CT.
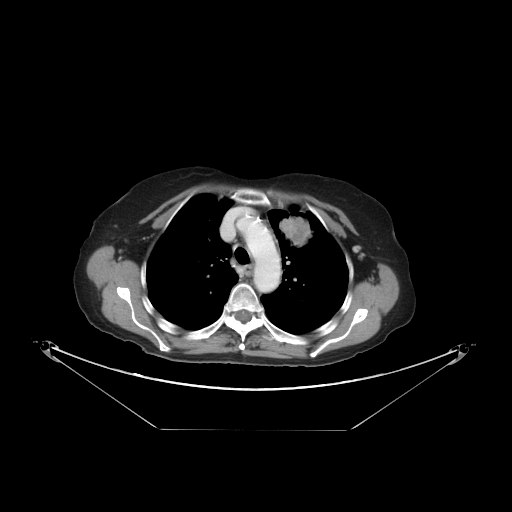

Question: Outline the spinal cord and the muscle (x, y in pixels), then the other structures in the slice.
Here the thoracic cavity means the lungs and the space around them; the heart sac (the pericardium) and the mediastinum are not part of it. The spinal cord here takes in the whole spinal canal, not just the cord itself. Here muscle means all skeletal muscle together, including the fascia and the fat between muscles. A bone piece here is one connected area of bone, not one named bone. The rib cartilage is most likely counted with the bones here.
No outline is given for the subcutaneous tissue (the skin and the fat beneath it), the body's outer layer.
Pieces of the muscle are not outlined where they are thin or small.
Answer: spinal cord: 240,310 246,310 247,311 248,311 250,313 250,318 249,319 249,320 248,320 245,322 242,322 236,318 236,317 235,316 235,313 236,312 237,312
muscle 1: 206,182 249,186 239,187 220,198 209,192 195,194 193,190 177,204 165,221 147,261 144,260 140,266 140,283 147,289 141,301 150,315 155,310 161,315 155,319 160,329 175,335 181,327 188,330 183,338 192,341 206,339 224,325 239,335 237,346 243,351 246,336 264,327 268,333 262,336 267,340 307,345 309,340 303,334 313,331 318,337 327,335 338,325 338,319 333,316 336,312 344,314 350,307 353,296 347,289 354,274 356,282 364,280 380,262 395,272 399,295 383,318 379,330 365,341 319,354 328,345 343,340 356,324 366,318 368,309 358,307 346,330 310,351 308,355 311,358 251,356 239,351 169,353 171,347 136,318 130,289 121,285 115,290 128,304 132,321 155,338 158,349 145,337 110,322 101,311 97,290 86,273 89,256 103,245 112,245 125,259 140,264 152,240 148,238 150,223 139,221 166,200
muscle 2: 251,187 271,187 284,191 309,194 342,210 358,235 347,231 347,237 343,240 347,252 344,253 330,233 330,229 324,218 309,202 304,204 305,209 301,209 296,204 291,204 287,207 279,206 273,204 264,191
thoracic cavity 1: 203,193 213,194 219,199 228,197 234,202 223,215 218,227 218,233 220,238 230,246 231,252 228,260 238,278 231,288 219,316 205,326 189,330 166,319 155,309 148,296 146,270 154,246 173,218 191,198
thoracic cavity 2: 291,205 296,205 316,217 339,246 348,270 346,293 337,311 324,323 302,334 289,332 273,323 266,315 260,300 261,296 271,294 278,288 282,281 283,272 279,241 270,223 268,213 273,209 285,209
mediastinum: 234,203 269,208 275,205 285,208 273,208 267,213 269,223 278,241 282,272 281,281 277,288 271,293 263,294 260,297 249,283 244,281 238,282 238,273 229,260 232,252 231,246 221,238 219,233 222,219
torso: 189,165 208,165 254,178 310,172 346,180 367,192 389,212 396,237 407,253 416,294 411,320 373,349 338,363 308,368 169,361 148,355 135,344 94,327 78,306 72,282 80,245 93,220 136,182 154,173
bones 1: 241,282 253,288 265,315 273,324 284,331 305,337 308,343 299,345 267,339 263,335 269,333 261,326 245,336 245,347 241,350 238,346 240,335 224,324 206,338 185,339 188,331 205,327 220,316 232,288, around a hole outlined by 240,310 246,310 247,311 248,311 250,313 250,318 249,319 249,320 248,320 245,322 242,322 236,318 236,317 235,316 235,313 236,312 237,312
bones 2: 242,187 250,187 251,188 258,189 264,192 272,203 272,206 271,207 269,207 264,205 254,205 253,204 247,204 246,205 242,203 238,203 237,202 235,202 232,200 229,197 229,196 233,194 237,189
bones 3: 118,286 127,287 129,289 130,299 135,318 141,324 153,330 160,339 170,347 170,350 168,352 161,351 158,347 159,344 156,338 149,331 139,327 133,321 131,317 131,310 129,304 117,293 116,289
bones 4: 358,308 365,308 367,309 367,314 365,318 363,320 356,323 351,328 349,333 343,339 328,344 315,357 311,357 309,355 310,352 316,349 324,341 331,338 338,337 342,335 347,330 353,318 353,316
bones 5: 332,317 335,317 337,319 337,325 335,327 335,328 334,329 333,329 327,334 325,334 322,336 318,336 317,335 317,334 314,331 314,330 316,328 319,327 321,325 322,325 323,324 324,324 326,322 327,322
bones 6: 159,316 162,316 166,320 174,324 176,324 178,326 178,328 177,329 177,333 175,334 173,334 172,333 167,332 163,330 161,328 160,328 158,326 156,322 156,319 157,317
bones 7: 193,191 195,191 194,195 192,197 191,197 180,208 180,209 172,218 172,219 170,221 170,222 168,224 166,228 162,232 163,227 166,221 168,219 170,215 173,212 173,211 177,207 178,204 187,195 188,195
bones 8: 306,203 309,203 318,211 320,215 323,218 326,225 328,227 329,229 329,231 328,231 324,227 322,223 317,218 317,217 315,215 314,215 310,211 306,209 306,205 305,204
bones 9: 347,291 350,291 351,292 351,295 352,296 352,297 351,298 351,302 349,305 349,307 346,310 346,311 344,313 341,313 341,312 339,310 339,309 340,308 340,307 341,306 341,305 345,298 345,296 347,293
bones 10: 345,253 347,253 349,255 349,257 351,259 351,261 352,262 352,264 353,265 353,278 350,282 349,282 349,270 348,269 348,267 347,266 347,264 346,263 346,260 345,259 345,256 344,255 344,254
bones 11: 144,295 147,295 147,296 148,297 148,298 149,299 149,300 150,301 150,302 152,304 152,305 154,307 154,312 153,313 153,314 150,314 147,311 147,310 145,308 145,307 143,304 143,302 142,301 142,297
bones 12: 144,261 145,261 146,262 146,269 145,270 145,280 146,281 146,288 144,288 142,286 142,284 141,283 141,266 142,265 142,263